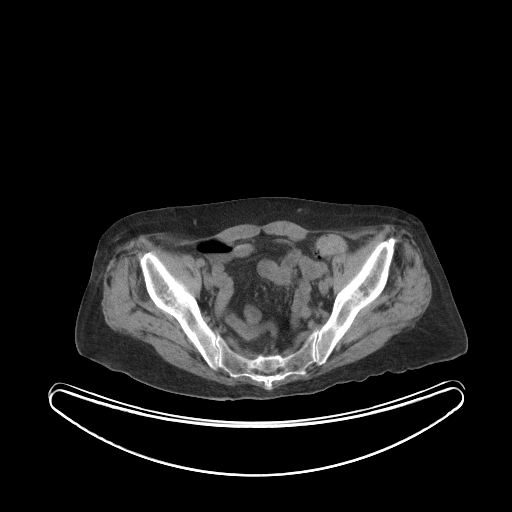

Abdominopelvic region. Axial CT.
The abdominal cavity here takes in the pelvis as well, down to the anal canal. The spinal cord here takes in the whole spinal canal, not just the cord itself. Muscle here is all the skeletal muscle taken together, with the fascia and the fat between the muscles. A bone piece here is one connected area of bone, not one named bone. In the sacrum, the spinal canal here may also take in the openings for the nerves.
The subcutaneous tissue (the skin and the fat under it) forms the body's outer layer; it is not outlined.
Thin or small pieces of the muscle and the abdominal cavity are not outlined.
The bones are outlined by 390,237 396,242 380,294 356,314 324,363 312,363 305,374 274,380 269,390 262,381 212,369 179,322 151,299 139,262 142,254 154,252 194,296 209,327 235,352 248,358 285,356 328,319 338,292 374,248; inner edge: 268,371 273,371 274,372 275,372 275,373 274,373 273,374 261,374 260,373 259,373 259,372 267,372. The abdominal cavity is outlined by 262,231 296,240 310,234 334,233 360,245 336,255 330,263 331,291 335,296 327,319 308,334 298,349 285,350 283,355 255,356 210,327 198,303 200,266 191,254 180,249 204,239 232,241 251,238. The spinal cord is outlined by 268,371 273,371 274,372 275,372 275,373 274,373 273,374 261,374 260,373 259,373 259,372 267,372. The muscle appears in 2 outlined pieces: piece 1: 276,220 291,221 307,229 355,231 381,224 405,228 420,249 432,287 429,305 412,330 393,337 354,362 272,389 274,381 305,375 312,364 321,366 327,361 357,314 385,288 397,239 390,236 380,241 335,295 331,263 336,256 357,249 361,245 358,242 334,232 310,233 296,239 262,230 251,237 204,238 179,248 199,266 197,300 154,251 142,253 138,262 150,299 178,322 207,365 232,378 248,377 262,382 264,388 249,383 226,385 181,369 165,361 148,343 116,332 106,324 101,308 103,274 116,249 131,238 156,232 198,238 239,224 263,225; piece 2: 227,340 228,341 229,340 230,342 232,342 234,344 237,345 240,348 244,350 247,350 249,352 253,354 254,356 252,356 251,357 248,357 247,356 245,356 235,351 228,344 227,342. The torso is outlined by 259,196 380,204 397,207 415,215 425,226 447,277 467,333 467,351 451,360 401,373 387,371 369,376 360,382 335,384 312,394 224,401 164,391 80,355 74,341 76,316 89,279 98,240 112,223 141,210.